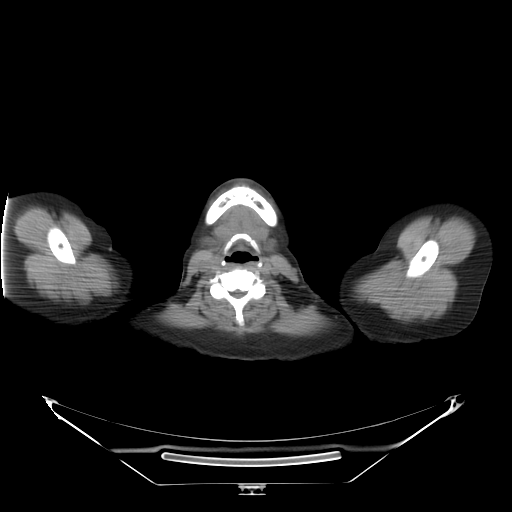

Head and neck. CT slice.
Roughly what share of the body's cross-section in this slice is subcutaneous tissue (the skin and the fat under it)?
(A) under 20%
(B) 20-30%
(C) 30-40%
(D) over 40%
(D) over 40%
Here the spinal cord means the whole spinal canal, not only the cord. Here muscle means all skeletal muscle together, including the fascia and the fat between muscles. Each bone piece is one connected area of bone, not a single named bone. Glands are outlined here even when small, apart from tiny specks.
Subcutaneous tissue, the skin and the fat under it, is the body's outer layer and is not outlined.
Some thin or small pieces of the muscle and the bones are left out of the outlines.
Outlined structures:
bones 1: 235 267; 246 268; 252 272; 258 271; 259 276; 265 285; 264 295; 259 299; 251 299; 243 307; 242 314; 244 324; 242 326; 238 325; 235 321; 235 310; 233 306; 225 298; 216 299; 212 297; 209 290; 209 280; 217 271; 224 272 with a hole at 235 290; 240 290; 241 291; 243 291; 244 292; 245 292; 245 293; 242 296; 241 296; 240 297; 235 297; 234 296; 233 296; 230 293; 231 292; 232 292; 233 291; 234 291
bones 2: 237 185; 245 185; 254 189; 269 202; 275 210; 277 215; 277 223; 275 226; 270 226; 268 225; 252 208; 249 206; 243 205; 242 204; 236 204; 229 207; 212 224; 208 225; 205 223; 204 221; 205 214; 210 205; 216 198; 223 192
bones 3: 428 239; 433 239; 435 240; 437 242; 438 246; 439 247; 438 254; 434 262; 429 268; 429 269; 422 275; 418 277; 415 277; 414 278; 408 278; 406 277; 406 271; 408 268; 408 265; 409 264; 410 260; 414 256; 420 247
bones 4: 54 226; 56 226; 58 227; 65 234; 70 244; 70 246; 72 249; 73 254; 76 260; 74 264; 67 264; 66 263; 61 262; 59 261; 54 256; 54 255; 52 253; 48 245; 48 242; 47 241; 47 233; 48 232; 48 230; 50 228
bones 5: 237 233; 245 233; 250 236; 250 237; 256 242; 259 248; 259 252; 257 253; 256 251; 251 246; 251 245; 246 240; 244 239; 238 239; 232 244; 232 245; 227 251; 226 254; 223 254; 223 250; 224 249; 224 247; 226 243; 233 235
head and neck: 242 175; 250 176; 259 181; 269 190; 283 209; 288 220; 290 248; 307 282; 309 297; 308 314; 299 330; 272 354; 260 361; 228 359; 213 353; 193 335; 186 325; 180 300; 179 282; 182 256; 196 215; 207 196; 218 184; 232 176; inner edge: 238 240; 244 240; 246 241; 255 251; 255 253; 258 257; 258 260; 255 264; 254 263; 253 264; 245 264; 244 265; 243 264; 228 264; 226 263; 226 262; 223 259; 223 256; 227 254; 228 251; 233 245; 233 244; 236 241
submandibular glands 1: 272 238; 273 238; 274 238; 275 239; 276 240; 277 241; 277 242; 277 243; 277 244; 276 245; 275 245; 274 245; 273 245; 272 245; 271 245; 270 244; 270 243; 270 242; 270 241; 270 240; 271 239
submandibular glands 2: 206 236; 207 236; 208 236; 209 236; 210 237; 211 237; 212 238; 213 239; 213 240; 212 241; 211 241; 210 241; 209 241; 208 240; 207 240; 206 240; 205 240; 204 239; 204 238; 205 237
torso 1: 308 283; 315 291; 320 294; 331 305; 347 315; 356 331; 355 332; 356 333; 355 342; 351 347; 341 352; 317 356; 300 361; 288 361; 287 362; 282 362; 277 360; 272 361; 261 361; 263 361; 265 359; 272 355; 300 330; 300 328; 309 314; 310 297
torso 2: 178 285; 179 285; 180 310; 185 325; 192 335; 208 350; 217 356; 225 358; 209 357; 205 355; 201 355; 192 350; 180 349; 171 345; 163 344; 157 341; 152 341; 145 336; 133 335; 124 328; 124 323; 126 319; 132 313; 173 292
left arm: 439 199; 453 199; 469 205; 483 217; 491 229; 494 240; 494 255; 477 313; 467 328; 452 337; 405 345; 371 343; 356 329; 348 315; 340 309; 337 300; 340 276; 351 262; 364 254; 372 252; 377 247; 386 229; 397 218; 422 204
right arm: 33 190; 51 190; 59 192; 77 202; 88 216; 105 227; 111 237; 112 246; 131 259; 135 268; 135 300; 127 311; 118 316; 85 327; 63 328; 53 325; 35 315; 26 313; 6 300; 4 295; 4 220; 6 220; 8 198; 10 195
spinal cord: 235 290; 240 290; 241 291; 243 291; 244 292; 245 292; 245 293; 242 296; 241 296; 240 297; 235 297; 234 296; 233 296; 230 293; 231 292; 232 292; 233 291; 234 291
muscle 1: 236 180; 246 180; 258 186; 275 204; 283 232; 282 252; 296 268; 299 281; 310 300; 335 321; 336 325; 328 331; 303 337; 269 332; 235 336; 211 328; 171 327; 154 318; 155 314; 168 303; 175 302; 180 295; 203 218; 204 223; 210 226; 229 208; 242 205; 252 209; 268 226; 277 225; 278 215; 274 207; 254 188; 245 184; 237 184; 223 191; 206 210; 212 196; 221 187; inner edges: 235 267; 246 268; 252 272; 258 271; 259 276; 265 285; 264 295; 259 299; 251 299; 243 307; 242 314; 244 324; 242 326; 238 325; 235 321; 235 310; 233 306; 225 298; 216 299; 212 297; 209 290; 209 280; 217 271; 224 272, then 237 233; 245 233; 250 236; 256 242; 259 248; 259 252; 256 254; 258 259; 261 261; 260 266; 258 266; 256 263; 255 264; 254 263; 244 265; 243 264; 228 264; 227 263; 223 265; 221 264; 224 255; 223 250; 226 243; 233 235, then 272 238; 273 238; 274 238; 275 239; 276 240; 277 241; 277 242; 277 243; 277 244; 276 245; 275 245; 274 245; 273 245; 272 245; 271 245; 270 244; 270 243; 270 242; 270 241; 270 240; 271 239
muscle 2: 427 214; 452 214; 466 217; 474 226; 477 235; 474 247; 470 254; 456 267; 458 286; 455 301; 446 313; 437 319; 401 323; 395 321; 376 305; 365 305; 352 298; 351 286; 353 281; 393 258; 397 253; 395 245; 401 230; 413 219; inner edge: 428 239; 433 239; 435 240; 437 242; 438 246; 439 247; 438 254; 434 262; 429 268; 429 269; 422 275; 418 277; 415 277; 414 278; 408 278; 406 277; 406 271; 408 268; 408 265; 409 264; 410 260; 414 256; 420 247
muscle 3: 30 205; 53 205; 67 209; 81 218; 93 236; 97 248; 96 250; 117 270; 120 289; 116 295; 89 305; 77 306; 43 298; 28 286; 25 272; 22 269; 23 264; 20 255; 22 249; 15 238; 11 226; 17 212; 23 207; inner edge: 54 226; 56 226; 58 227; 65 234; 70 244; 70 246; 72 249; 73 254; 76 260; 74 264; 67 264; 66 263; 61 262; 59 261; 54 256; 54 255; 52 253; 48 245; 48 242; 47 241; 47 233; 48 232; 48 230; 50 228